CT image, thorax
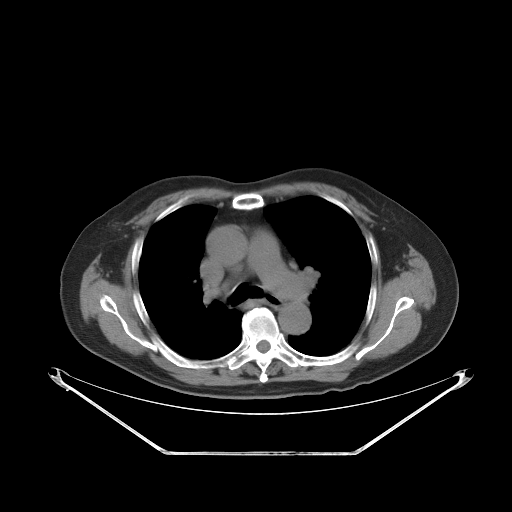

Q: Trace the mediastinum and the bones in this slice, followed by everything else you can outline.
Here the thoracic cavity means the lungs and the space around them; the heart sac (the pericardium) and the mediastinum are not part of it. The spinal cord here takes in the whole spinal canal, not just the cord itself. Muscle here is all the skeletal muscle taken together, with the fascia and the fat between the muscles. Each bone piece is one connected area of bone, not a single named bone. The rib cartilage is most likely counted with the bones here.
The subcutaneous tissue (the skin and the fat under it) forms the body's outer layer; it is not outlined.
A: The mediastinum is outlined by 278,196 292,197 287,200 267,204 263,208 263,215 296,260 311,314 309,329 286,339 269,308 255,306 243,313 229,308 204,288 199,273 206,234 217,212 214,206 203,204 203,201 226,203 236,210 252,210 263,207 266,202. The bones appear in 8 outlined pieces: piece 1: 103,294 114,301 135,336 150,341 156,334 181,356 198,360 214,359 234,349 242,337 242,316 255,307 272,312 279,330 295,350 328,356 351,342 358,344 357,351 373,344 387,329 397,300 407,296 413,303 396,315 389,333 358,360 352,354 330,365 291,367 273,358 263,383 254,360 232,370 226,366 197,369 174,364 131,338 118,317 102,308; inner edge: 262,340 265,340 267,342 268,342 268,343 269,344 269,348 265,352 262,352 261,351 260,351 259,350 258,350 258,349 257,348 257,344 260,341 261,341; piece 2: 244,192 255,192 256,193 258,193 260,195 261,195 264,199 264,201 265,202 264,205 261,207 258,207 257,208 253,208 252,209 236,209 232,207 231,205 231,202 232,201 232,199 233,197 238,194 240,194; piece 3: 141,235 142,235 144,237 144,240 143,241 143,244 142,245 142,249 141,250 141,255 139,259 139,264 138,265 137,272 134,274 132,273 132,270 131,269 131,257 132,256 133,245 134,244 135,240 139,236; piece 4: 135,290 138,290 139,291 140,293 140,295 141,296 141,298 142,299 142,301 143,302 143,304 149,316 149,318 150,320 148,323 148,326 146,326 143,323 136,310 136,308 135,307 135,305 133,301 133,292; piece 5: 373,283 375,284 376,286 376,299 375,300 375,305 374,306 374,309 373,310 371,318 369,322 366,324 365,323 365,318 364,317 365,316 365,312 366,311 367,303 368,302 368,298 369,297 370,286 371,284; piece 6: 187,195 189,196 189,199 188,200 188,202 185,205 174,210 172,212 169,213 167,215 161,218 159,220 157,221 155,221 155,218 169,205 172,204 180,198 184,196 186,196; piece 7: 365,235 371,235 374,240 374,243 376,247 376,252 377,253 377,256 378,257 377,259 377,263 375,265 373,265 371,263 371,259 370,258 369,251 368,250 368,248 367,247 367,244 366,243 366,241 364,237; piece 8: 319,192 323,192 324,193 325,193 326,194 339,200 341,202 342,202 352,212 352,214 353,215 353,216 350,215 346,211 345,211 342,208 341,208 336,204 335,204 332,202 330,202 329,201 318,196 318,193. The muscle appears in 2 outlined pieces: piece 1: 300,181 321,182 338,187 378,215 372,218 375,222 370,230 375,239 379,250 384,282 408,268 409,243 427,260 436,288 435,303 423,312 421,328 411,343 384,358 363,362 347,377 337,382 316,380 267,382 266,371 273,359 280,360 291,368 330,366 341,363 352,355 358,361 390,333 397,315 410,308 414,299 407,295 399,297 384,332 373,343 357,350 359,344 352,340 364,318 366,325 370,322 377,299 377,286 371,283 372,265 375,266 379,258 377,252 375,240 373,236 371,234 363,235 353,212 342,201 323,191 319,191 317,195 278,195 267,201 258,192 249,191 279,183; piece 2: 205,186 243,192 234,195 230,205 211,200 187,204 190,196 184,195 163,209 154,218 145,237 139,235 132,245 130,269 132,274 137,273 139,288 132,292 132,301 142,323 148,327 151,321 158,334 152,333 150,340 135,335 108,294 103,293 99,297 99,304 104,311 117,317 131,339 158,352 178,367 197,370 226,367 232,371 254,361 260,369 258,380 261,383 193,385 178,380 145,355 135,356 111,344 94,323 84,320 80,310 82,274 100,253 102,255 99,265 103,269 103,275 111,283 122,282 123,262 135,233 130,224 125,224 128,220 162,195. The thoracic cavity appears in 2 outlined pieces: piece 1: 303,195 317,196 336,205 353,218 364,238 371,264 370,285 363,319 351,341 342,349 328,355 303,353 287,341 289,336 301,336 310,329 312,325 310,302 306,293 302,271 296,258 264,215 264,208 267,205; piece 2: 196,203 209,205 216,209 205,234 204,249 198,266 198,273 203,288 209,290 214,299 229,309 242,313 240,320 241,337 238,344 225,354 209,359 183,356 161,338 144,304 138,277 144,241 151,226 174,211. The torso is outlined by 306,166 329,167 362,179 415,214 442,241 456,269 459,300 447,333 432,351 386,377 349,390 224,399 181,393 146,381 90,352 71,335 60,307 59,276 72,244 93,219 134,190 164,177 205,174 245,182. The spinal cord is outlined by 262,340 265,340 267,342 268,342 268,343 269,344 269,348 265,352 262,352 261,351 260,351 259,350 258,350 258,349 257,348 257,344 260,341 261,341.